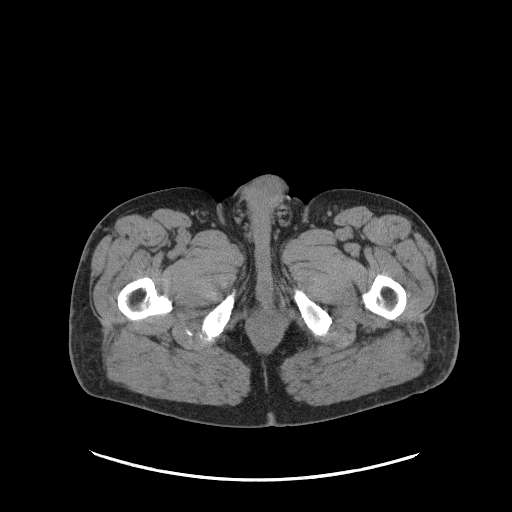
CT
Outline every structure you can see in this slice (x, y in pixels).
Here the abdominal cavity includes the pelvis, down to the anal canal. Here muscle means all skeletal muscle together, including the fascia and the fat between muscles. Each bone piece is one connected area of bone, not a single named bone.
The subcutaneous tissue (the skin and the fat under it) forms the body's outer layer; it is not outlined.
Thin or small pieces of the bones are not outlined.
Outlined structures:
abdominal cavity: (265, 311) (269, 311) (270, 312) (273, 312) (278, 314) (280, 316) (281, 320) (279, 325) (279, 331) (275, 339) (266, 347) (261, 347) (258, 345) (254, 339) (252, 335) (252, 333) (250, 331) (250, 328) (249, 327) (249, 321) (250, 320) (250, 318) (256, 314) (261, 313)
muscle: (357, 204) (401, 213) (434, 250) (438, 294) (425, 317) (431, 352) (419, 376) (328, 405) (294, 401) (285, 391) (276, 368) (308, 342) (291, 321) (273, 351) (260, 354) (251, 344) (241, 319) (223, 346) (251, 369) (251, 390) (237, 405) (154, 398) (106, 378) (101, 361) (101, 324) (90, 307) (89, 280) (93, 252) (119, 217) (149, 207) (182, 211) (194, 226) (217, 229) (235, 237) (245, 252) (246, 269) (251, 271) (279, 266) (279, 249) (284, 241), around holes outlined by (144, 276) (147, 276) (152, 279) (154, 282) (155, 287) (159, 293) (162, 294) (165, 293) (167, 295) (172, 302) (172, 310) (165, 315) (154, 315) (153, 316) (148, 316) (139, 320) (130, 320) (128, 319) (118, 308) (117, 305) (117, 296) (120, 290) (127, 283) (135, 279) and by (380, 273) (390, 276) (396, 280) (402, 285) (406, 292) (406, 305) (405, 306) (405, 308) (404, 310) (394, 320) (389, 320) (388, 319) (386, 319) (384, 317) (380, 316) (366, 309) (364, 306) (364, 304) (361, 298) (361, 295) (362, 293) (367, 291) (369, 289) (376, 275) and by (296, 288) (302, 290) (312, 301) (315, 302) (324, 310) (325, 310) (331, 317) (332, 319) (332, 322) (327, 333) (325, 335) (322, 335) (321, 336) (315, 335) (308, 328) (304, 322) (304, 320) (301, 316) (301, 314) (298, 309) (298, 307) (293, 299) (294, 289) and by (233, 289) (235, 290) (234, 306) (232, 309) (229, 320) (225, 325) (223, 331) (218, 336) (215, 337) (212, 341) (210, 342) (206, 342) (204, 341) (201, 338) (200, 338) (198, 335) (198, 333) (201, 329) (201, 324) (202, 323) (202, 320) (203, 318) (229, 293) (230, 293) and by (265, 311) (269, 311) (270, 312) (273, 312) (278, 314) (280, 316) (281, 320) (279, 325) (279, 331) (275, 339) (266, 347) (261, 347) (258, 345) (254, 339) (252, 335) (252, 333) (250, 331) (250, 328) (249, 327) (249, 321) (250, 320) (250, 318) (256, 314) (261, 313)
torso: (264, 173) (284, 178) (288, 193) (304, 202) (325, 190) (354, 188) (395, 198) (424, 219) (455, 287) (459, 347) (447, 378) (424, 392) (336, 419) (259, 428) (185, 421) (86, 393) (69, 359) (69, 301) (83, 246) (97, 222) (118, 204) (147, 192) (191, 186) (219, 201)
bones 1: (144, 276) (147, 276) (152, 279) (154, 282) (155, 287) (159, 293) (162, 294) (165, 293) (167, 295) (172, 302) (172, 310) (165, 315) (154, 315) (153, 316) (148, 316) (139, 320) (130, 320) (128, 319) (118, 308) (117, 305) (117, 296) (120, 290) (127, 283) (135, 279)
bones 2: (380, 273) (390, 276) (396, 280) (402, 285) (406, 292) (406, 305) (405, 306) (405, 308) (404, 310) (394, 320) (389, 320) (388, 319) (386, 319) (384, 317) (380, 316) (366, 309) (364, 306) (364, 304) (361, 298) (361, 295) (362, 293) (367, 291) (369, 289) (376, 275)
bones 3: (296, 288) (302, 290) (312, 301) (315, 302) (324, 310) (325, 310) (331, 317) (332, 319) (332, 322) (327, 333) (325, 335) (322, 335) (321, 336) (315, 335) (308, 328) (304, 322) (304, 320) (301, 316) (301, 314) (298, 309) (298, 307) (293, 299) (294, 289)
bones 4: (233, 289) (235, 290) (234, 306) (232, 309) (229, 320) (225, 325) (223, 331) (218, 336) (215, 337) (212, 341) (210, 342) (206, 342) (204, 341) (201, 338) (200, 338) (198, 335) (198, 333) (201, 329) (201, 324) (202, 323) (202, 320) (203, 318) (229, 293) (230, 293)